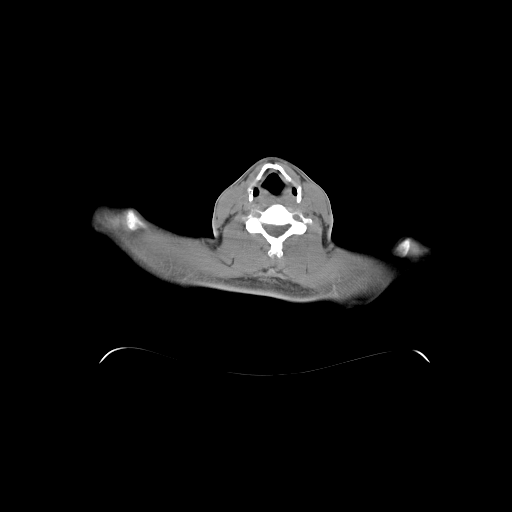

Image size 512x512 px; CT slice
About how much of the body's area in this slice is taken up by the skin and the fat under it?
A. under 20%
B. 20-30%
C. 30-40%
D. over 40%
Answer: B. 20-30%
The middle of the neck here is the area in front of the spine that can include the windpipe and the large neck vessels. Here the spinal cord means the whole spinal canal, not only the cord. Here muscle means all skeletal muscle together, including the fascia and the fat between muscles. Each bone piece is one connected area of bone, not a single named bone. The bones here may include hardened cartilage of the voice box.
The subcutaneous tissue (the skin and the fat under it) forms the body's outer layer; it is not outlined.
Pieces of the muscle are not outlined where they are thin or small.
The torso appears in 2 outlined pieces: piece 1: [[104,204],[131,204],[138,208],[148,218],[165,226],[176,230],[185,230],[188,232],[208,235],[215,253],[224,286],[232,293],[209,289],[199,289],[193,291],[176,289],[168,287],[138,270],[129,263],[107,239],[99,235],[93,229],[93,210],[96,207]]; piece 2: [[404,235],[418,236],[428,245],[431,253],[424,258],[399,262],[396,275],[389,290],[375,302],[349,310],[337,309],[321,303],[306,305],[288,303],[312,294],[322,285],[331,271],[335,260],[336,241],[357,250],[365,250],[371,253],[382,253],[391,248]]. The spinal cord is outlined by [[266,224],[269,224],[270,225],[275,225],[276,226],[283,226],[284,225],[287,225],[288,226],[283,233],[282,233],[280,235],[279,235],[278,236],[273,236],[272,235],[269,234],[266,231],[266,230],[264,227],[264,225],[265,225]]. The bones appear in 4 outlined pieces: piece 1: [[274,203],[282,204],[291,211],[299,210],[305,217],[312,220],[311,223],[306,225],[306,230],[302,234],[292,234],[283,241],[283,254],[279,258],[267,254],[270,244],[260,233],[248,232],[242,219],[242,216],[247,215],[252,208],[263,210]] with a hole at [[266,224],[269,224],[270,225],[275,225],[276,226],[283,226],[284,225],[287,225],[288,226],[283,233],[282,233],[280,235],[279,235],[278,236],[273,236],[272,235],[269,234],[266,231],[266,230],[264,227],[264,225],[265,225]]; piece 2: [[268,162],[279,164],[290,177],[297,184],[300,185],[301,200],[298,203],[296,202],[297,188],[289,181],[286,181],[279,170],[270,167],[267,168],[263,172],[261,178],[252,187],[253,199],[252,202],[249,201],[249,195],[247,188],[260,171],[262,166]]; piece 3: [[128,209],[132,209],[133,210],[134,210],[147,223],[147,225],[146,226],[146,227],[145,227],[144,228],[139,228],[137,230],[135,230],[134,231],[133,231],[132,230],[130,230],[126,226],[126,225],[125,224],[125,213],[126,212],[126,211]]; piece 4: [[405,238],[409,238],[411,240],[411,246],[410,247],[410,249],[409,250],[409,251],[408,252],[408,253],[406,255],[405,255],[404,256],[403,256],[400,253],[400,252],[397,249],[397,245],[398,244],[398,243],[401,240],[402,240],[403,239],[404,239]]. The muscle appears in 2 outlined pieces: piece 1: [[264,161],[286,163],[323,193],[329,213],[323,232],[325,245],[383,263],[391,275],[377,287],[344,297],[268,283],[184,278],[154,269],[95,227],[100,210],[126,210],[124,224],[130,231],[144,229],[148,222],[157,229],[211,244],[218,239],[219,199]] with a hole at [[268,162],[279,164],[301,187],[298,203],[281,203],[291,211],[299,210],[312,220],[302,234],[292,234],[283,241],[283,254],[279,258],[267,254],[270,244],[260,233],[248,232],[242,219],[252,208],[263,210],[271,204],[250,202],[247,190],[262,166]]; piece 2: [[411,239],[412,239],[414,241],[415,241],[420,245],[422,245],[424,247],[427,248],[427,251],[422,255],[420,255],[417,257],[414,257],[413,256],[410,256],[409,255],[407,255],[409,253],[409,252],[411,249],[411,247],[412,246],[412,240]]. The middle of the neck is outlined by [[270,168],[279,171],[282,175],[283,179],[286,182],[289,182],[296,188],[295,201],[285,201],[281,203],[279,202],[271,203],[270,202],[256,202],[253,201],[254,199],[253,187],[255,186],[257,182],[262,178],[264,172],[267,169]]. The head and neck is outlined by [[268,155],[280,156],[291,161],[321,186],[329,198],[333,216],[331,236],[335,240],[335,250],[334,260],[330,271],[321,285],[312,293],[289,302],[284,302],[266,296],[236,294],[227,289],[210,237],[213,234],[213,206],[214,202],[220,193],[252,163]].